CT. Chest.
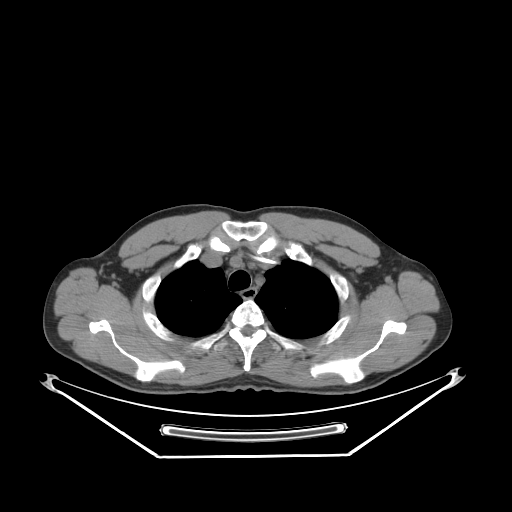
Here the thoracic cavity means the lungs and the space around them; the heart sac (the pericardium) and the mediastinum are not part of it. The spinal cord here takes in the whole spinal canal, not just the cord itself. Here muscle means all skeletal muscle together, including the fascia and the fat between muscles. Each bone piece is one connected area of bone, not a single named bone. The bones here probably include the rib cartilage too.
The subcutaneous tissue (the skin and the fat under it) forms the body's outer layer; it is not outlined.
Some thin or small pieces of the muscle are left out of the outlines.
The bones appear in 9 outlined pieces: piece 1: 249 298; 262 310; 275 332; 303 344; 303 349; 281 347; 276 350; 268 336; 254 348; 250 369; 246 372; 243 368; 243 352; 238 343; 228 336; 225 337; 227 344; 220 349; 192 349; 189 346; 190 342; 220 330; 230 313; inner edge: 245 325; 250 325; 251 326; 252 326; 254 328; 255 328; 255 330; 250 335; 244 335; 241 332; 241 329; piece 2: 225 220; 266 222; 269 229; 275 232; 282 242; 299 243; 311 257; 314 266; 289 258; 280 246; 270 252; 256 254; 254 249; 258 240; 235 241; 229 238; 227 242; 231 249; 228 252; 210 249; 206 240; 210 234; 221 229; 221 223; piece 3: 388 319; 405 322; 405 332; 402 334; 390 332; 374 351; 361 360; 359 365; 365 374; 363 379; 349 384; 346 383; 338 374; 332 372; 321 373; 315 378; 311 375; 309 369; 313 364; 339 358; 354 357; 372 347; 380 336; 384 322; piece 4: 101 319; 106 319; 109 322; 116 341; 127 352; 144 361; 176 359; 184 365; 185 370; 182 373; 176 369; 165 370; 159 372; 151 381; 136 379; 134 377; 137 368; 136 363; 119 351; 110 334; 104 330; 96 333; 90 331; 89 322; piece 5: 143 308; 145 308; 147 310; 153 313; 155 313; 158 319; 168 329; 169 329; 175 334; 177 334; 177 335; 175 337; 174 341; 167 341; 160 338; 158 336; 157 336; 148 327; 148 326; 144 321; 143 317; 142 316; 142 309; piece 6: 347 314; 350 316; 350 320; 348 322; 345 329; 342 332; 340 336; 333 341; 332 341; 330 343; 328 343; 327 344; 323 344; 322 345; 319 345; 318 344; 318 336; 321 335; 323 333; 327 331; 337 321; 337 320; 340 317; 344 316; piece 7: 329 268; 331 269; 333 269; 337 271; 340 274; 344 276; 347 280; 347 285; 348 286; 348 289; 349 290; 348 292; 348 296; 342 304; 339 304; 339 301; 338 300; 338 297; 337 296; 336 291; 330 279; 327 275; 327 272; piece 8: 159 269; 160 269; 160 275; 162 279; 156 290; 156 292; 154 296; 154 302; 152 305; 148 303; 143 298; 143 296; 142 295; 142 285; 143 284; 143 282; 146 279; 146 278; 147 278; 149 276; 153 274; piece 9: 195 242; 200 242; 201 243; 204 243; 204 246; 201 252; 197 257; 197 258; 193 259; 192 260; 190 260; 186 262; 179 268; 177 268; 171 271; 171 269; 172 268; 172 266; 174 262; 186 250; 187 246; 189 244; 191 243; 194 243. The spinal cord is outlined by 245 325; 250 325; 251 326; 252 326; 254 328; 255 328; 255 330; 250 335; 244 335; 241 332; 241 329. The thoracic cavity appears in 2 outlined pieces: piece 1: 286 258; 303 263; 309 267; 314 267; 319 270; 327 276; 335 291; 338 301; 338 311; 337 312; 338 318; 327 330; 319 335; 307 338; 294 339; 280 334; 271 327; 263 310; 255 301; 257 294; 266 282; 265 273; 268 270; 279 265; piece 2: 196 259; 209 269; 220 268; 223 272; 225 285; 228 291; 236 294; 242 300; 225 318; 224 323; 220 329; 201 337; 191 337; 187 335; 181 335; 172 331; 159 319; 156 314; 154 305; 155 296; 162 280; 171 272; 179 269; 186 263. The torso is outlined by 189 203; 217 204; 237 210; 272 205; 318 206; 356 220; 399 252; 431 269; 453 316; 448 339; 409 370; 353 394; 257 392; 249 388; 158 395; 134 392; 100 377; 56 352; 44 336; 44 300; 54 277; 70 261; 108 247; 142 217. The mediastinum is outlined by 242 245; 254 251; 256 255; 273 252; 287 257; 264 273; 265 282; 254 299; 249 297; 243 300; 236 293; 229 291; 226 285; 223 270; 220 267; 209 268; 198 259; 204 250; 209 249; 217 252; 228 253; 232 248. The muscle appears in 2 outlined pieces: piece 1: 204 210; 233 219; 209 234; 208 249; 203 250; 204 242; 191 242; 167 275; 163 278; 159 268; 142 282; 142 298; 155 312; 143 307; 141 316; 160 339; 198 338; 189 342; 192 350; 216 351; 228 337; 239 346; 247 373; 255 348; 268 337; 276 351; 301 351; 305 345; 296 340; 317 336; 322 346; 341 336; 351 320; 347 313; 338 316; 349 296; 348 280; 330 267; 325 274; 299 242; 282 241; 266 221; 256 220; 267 212; 339 222; 376 243; 377 265; 357 278; 361 293; 389 284; 403 271; 421 273; 440 298; 435 337; 409 362; 366 377; 362 360; 390 333; 406 332; 405 321; 388 318; 374 344; 361 353; 313 363; 308 370; 314 379; 332 373; 348 384; 319 387; 248 373; 191 386; 152 382; 165 371; 182 374; 185 365; 176 358; 144 360; 132 354; 106 318; 90 320; 88 329; 109 334; 135 363; 133 377; 79 356; 58 335; 54 321; 61 280; 75 268; 91 267; 105 284; 132 296; 141 280; 121 265; 121 244; 152 221; piece 2: 229 239; 235 242; 239 242; 241 240; 245 240; 248 242; 256 242; 257 241; 258 241; 258 242; 256 246; 253 249; 253 250; 251 248; 244 244; 242 244; 241 245; 239 245; 235 247; 231 247; 231 246; 228 242; 228 240.